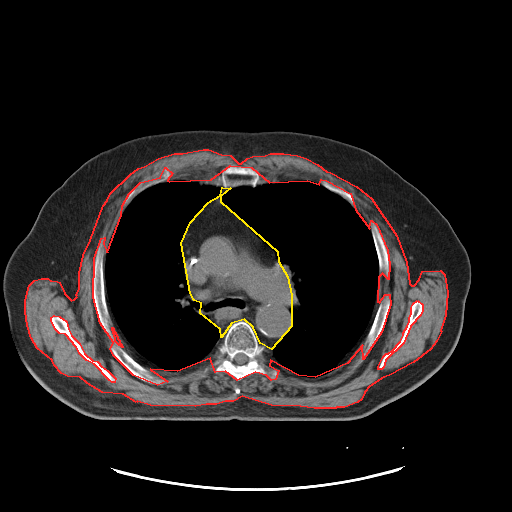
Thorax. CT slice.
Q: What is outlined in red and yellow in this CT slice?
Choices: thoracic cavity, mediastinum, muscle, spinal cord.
A: red: muscle; yellow: mediastinum.
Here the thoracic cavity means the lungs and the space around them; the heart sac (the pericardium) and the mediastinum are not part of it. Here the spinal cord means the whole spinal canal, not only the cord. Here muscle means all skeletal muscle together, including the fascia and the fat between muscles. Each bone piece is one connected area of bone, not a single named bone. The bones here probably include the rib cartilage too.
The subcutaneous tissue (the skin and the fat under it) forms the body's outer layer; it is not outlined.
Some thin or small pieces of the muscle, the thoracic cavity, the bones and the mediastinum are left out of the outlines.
{"muscle":[{"outer":[[203,149],[208,149],[221,154],[230,155],[238,163],[241,163],[247,158],[252,156],[265,155],[270,153],[283,153],[297,155],[306,158],[317,164],[326,171],[330,172],[356,186],[371,198],[396,235],[406,262],[409,283],[411,285],[414,285],[419,279],[422,271],[440,270],[444,274],[447,292],[445,315],[440,330],[441,331],[436,341],[430,349],[413,362],[389,375],[383,377],[369,386],[364,392],[361,399],[357,402],[344,407],[336,407],[335,408],[314,408],[300,406],[271,405],[242,396],[233,401],[225,401],[216,404],[206,404],[195,406],[150,405],[137,401],[136,402],[123,394],[102,392],[87,383],[80,377],[67,376],[61,373],[54,365],[52,360],[37,348],[31,338],[27,325],[25,311],[25,300],[29,285],[34,280],[41,278],[47,278],[50,280],[57,281],[59,282],[64,293],[71,300],[74,299],[77,296],[76,295],[79,288],[79,273],[83,255],[90,240],[103,205],[107,200],[110,193],[130,174],[138,168],[144,166],[158,158],[174,153],[182,153]],"holes":[[[230,165],[251,167],[269,182],[307,180],[319,184],[321,179],[326,180],[350,193],[355,209],[369,228],[371,220],[376,224],[387,250],[389,264],[388,279],[382,273],[378,277],[377,301],[379,302],[385,294],[389,294],[390,304],[381,332],[363,359],[362,345],[347,363],[315,377],[298,375],[270,360],[269,365],[278,370],[275,379],[271,380],[266,375],[255,372],[237,380],[225,371],[215,372],[210,358],[177,371],[150,369],[167,381],[157,385],[133,375],[114,356],[110,349],[113,342],[100,323],[93,297],[94,258],[101,238],[104,237],[103,244],[107,252],[121,215],[122,205],[129,193],[140,182],[160,177],[165,167],[172,173],[167,180],[169,181],[211,179]],[[54,315],[59,316],[66,321],[68,329],[71,335],[79,343],[84,353],[92,360],[97,361],[101,366],[107,370],[115,378],[114,382],[112,382],[109,380],[94,364],[86,360],[80,354],[76,347],[65,334],[59,333],[56,330],[51,321],[51,317]],[[417,300],[422,304],[422,310],[420,315],[410,326],[403,343],[385,360],[383,367],[381,369],[378,369],[378,366],[383,356],[386,353],[388,353],[392,350],[400,341],[403,335],[403,332],[407,326],[409,321],[409,318],[411,313],[411,307],[413,303]]]},[[112,327],[113,328],[113,330],[115,332],[115,333],[116,334],[116,335],[117,336],[117,338],[119,340],[119,342],[121,344],[121,345],[122,346],[122,347],[120,345],[119,345],[115,341],[115,337],[114,336],[114,334],[113,333],[113,331],[112,330]]],"mediastinum":[[[222,187],[230,188],[220,196],[220,201],[277,251],[278,261],[287,276],[291,295],[291,326],[271,349],[260,343],[253,327],[244,319],[231,323],[221,337],[220,329],[200,313],[201,303],[194,300],[190,293],[181,243],[190,222],[208,202],[220,195]]],"spinal_cord":[[[238,353],[242,353],[243,354],[244,354],[247,357],[247,358],[248,359],[247,360],[247,361],[245,363],[244,363],[243,364],[237,364],[236,363],[235,363],[234,362],[234,357]]],"bones":[{"outer":[[238,320],[248,322],[252,327],[259,343],[264,346],[264,354],[269,360],[269,365],[278,370],[278,375],[275,379],[271,380],[266,375],[255,372],[246,375],[240,380],[237,380],[234,376],[225,371],[214,371],[214,367],[211,365],[212,358],[230,325]],"hole":[[238,353],[242,353],[243,354],[244,354],[247,357],[247,358],[248,359],[247,360],[247,361],[245,363],[244,363],[243,364],[237,364],[236,363],[235,363],[234,362],[234,357]]},[[102,237],[104,237],[103,244],[105,249],[103,269],[105,298],[112,323],[111,330],[114,341],[137,363],[157,376],[165,379],[167,381],[162,385],[148,383],[133,375],[120,363],[110,349],[113,342],[104,331],[98,318],[94,303],[92,284],[94,258]],[[230,165],[251,167],[256,170],[262,177],[266,178],[268,181],[263,184],[260,184],[254,187],[250,185],[238,185],[234,187],[228,187],[227,188],[222,186],[216,186],[209,183],[205,183],[204,182],[206,179],[211,179],[219,175],[221,173],[223,168]],[[385,294],[389,294],[389,296],[390,297],[389,310],[387,314],[386,320],[381,330],[381,332],[377,338],[374,345],[368,354],[363,359],[361,359],[362,354],[363,353],[363,344],[364,343],[364,341],[368,334],[368,332],[373,322],[379,303]],[[54,315],[59,316],[66,321],[68,329],[71,335],[79,343],[84,353],[92,360],[97,361],[101,366],[107,370],[115,378],[114,382],[112,382],[109,380],[94,364],[86,360],[80,354],[76,347],[65,334],[59,333],[56,330],[51,321],[51,317]],[[371,220],[372,220],[378,227],[387,250],[388,263],[389,264],[389,277],[388,279],[387,279],[382,273],[380,273],[379,272],[379,262],[378,261],[377,252],[375,248],[375,245],[374,244],[373,238],[370,230],[370,221]],[[417,300],[422,304],[422,310],[420,315],[410,326],[403,343],[385,360],[383,367],[381,369],[378,369],[378,366],[383,356],[386,353],[388,353],[392,350],[400,341],[403,335],[403,332],[407,326],[409,321],[409,318],[411,313],[411,307],[413,303]],[[165,167],[168,167],[170,169],[172,173],[170,177],[167,180],[154,184],[138,193],[130,201],[120,214],[120,211],[122,205],[129,193],[135,188],[140,182],[142,181],[147,182],[149,180],[151,180],[156,177],[160,177],[162,175],[163,170]],[[321,179],[326,180],[332,185],[334,186],[336,186],[337,187],[341,187],[345,189],[348,192],[349,192],[355,203],[355,208],[353,207],[347,200],[343,198],[340,195],[339,195],[337,193],[333,191],[331,191],[329,189],[323,186],[320,183],[320,180]]],"torso":[[[190,129],[287,130],[333,138],[371,152],[419,189],[448,220],[465,247],[471,265],[462,329],[445,363],[405,395],[366,416],[344,421],[96,419],[78,412],[46,390],[24,365],[8,321],[3,275],[12,252],[32,227],[45,200],[86,160],[135,137]]],"thoracic_cavity":[[[283,180],[312,181],[347,201],[369,228],[378,262],[379,302],[361,347],[347,363],[315,377],[288,371],[274,364],[266,356],[265,351],[280,343],[292,326],[292,295],[288,276],[279,261],[278,251],[221,201],[221,196],[231,188],[254,188],[268,182]],[[176,179],[221,187],[219,195],[208,201],[189,222],[180,243],[180,253],[191,298],[200,303],[199,313],[219,329],[222,340],[211,358],[185,369],[168,371],[149,369],[124,349],[112,326],[106,298],[104,269],[110,239],[125,208],[144,190]]]}